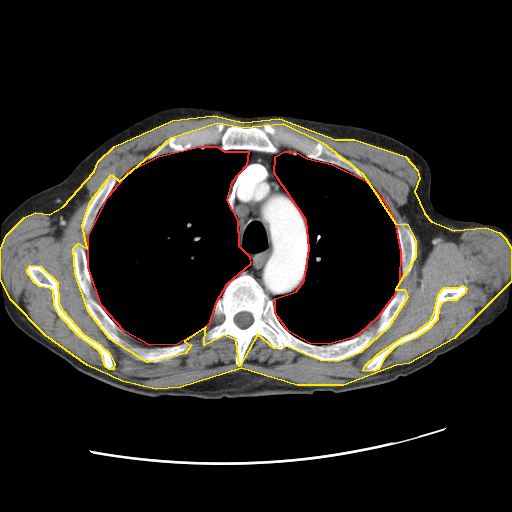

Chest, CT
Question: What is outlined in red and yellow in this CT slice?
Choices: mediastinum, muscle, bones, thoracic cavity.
Answer: red: thoracic cavity; yellow: muscle.
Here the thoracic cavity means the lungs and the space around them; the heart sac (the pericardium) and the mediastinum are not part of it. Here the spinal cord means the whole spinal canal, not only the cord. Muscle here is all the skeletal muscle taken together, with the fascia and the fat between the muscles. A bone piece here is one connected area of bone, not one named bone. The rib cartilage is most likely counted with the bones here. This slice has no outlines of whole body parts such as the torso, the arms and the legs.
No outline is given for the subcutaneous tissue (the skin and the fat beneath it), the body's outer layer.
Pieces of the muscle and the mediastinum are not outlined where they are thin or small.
{"thoracic_cavity":[[[199,146],[216,146],[224,151],[248,151],[246,165],[231,182],[226,200],[237,220],[238,245],[249,256],[250,264],[226,284],[215,303],[208,324],[203,329],[177,344],[149,345],[124,331],[101,305],[88,267],[88,236],[108,196],[130,170],[158,156]],[[284,151],[294,151],[307,158],[332,164],[365,180],[383,200],[394,220],[400,251],[399,281],[393,296],[377,317],[358,334],[350,338],[328,344],[309,343],[288,331],[275,313],[275,298],[296,291],[304,280],[309,248],[306,220],[274,173],[275,156]]],"muscle":[{"outer":[[213,115],[243,122],[279,118],[335,139],[354,139],[405,156],[417,170],[419,178],[414,191],[424,213],[431,221],[454,230],[485,227],[499,232],[505,238],[511,248],[511,281],[454,338],[409,363],[396,365],[343,385],[297,385],[241,368],[180,387],[156,389],[122,381],[87,365],[45,335],[10,299],[0,278],[0,250],[6,235],[24,217],[35,212],[49,214],[63,206],[94,171],[98,161],[114,146],[172,120]],"holes":[[[217,122],[242,127],[283,123],[322,142],[362,173],[395,223],[407,224],[415,240],[415,257],[395,289],[404,289],[407,297],[388,327],[360,352],[338,361],[320,360],[286,346],[274,348],[257,334],[239,366],[236,340],[224,335],[204,345],[205,327],[184,341],[191,345],[185,353],[147,362],[110,339],[88,311],[75,273],[73,248],[78,243],[87,248],[82,225],[90,201],[111,174],[119,181],[171,137]],[[30,265],[40,266],[57,282],[58,302],[61,309],[83,334],[99,344],[109,353],[114,363],[113,369],[109,369],[106,367],[104,364],[102,355],[98,350],[79,336],[59,315],[54,304],[53,291],[50,288],[39,286],[34,282],[27,272],[27,269]],[[462,285],[466,288],[465,292],[456,300],[448,300],[441,303],[438,308],[437,319],[428,329],[414,338],[394,347],[384,357],[378,369],[374,371],[363,370],[365,365],[377,354],[402,337],[419,329],[430,320],[434,313],[438,294],[444,287],[458,287]]]}],"mediastinum":[[[249,151],[275,155],[272,163],[273,173],[281,187],[304,218],[307,230],[307,261],[303,280],[296,290],[285,295],[277,295],[273,301],[268,297],[252,275],[242,272],[250,266],[251,258],[239,245],[238,220],[230,209],[227,200],[232,182],[247,165]]],"spinal_cord":[[[240,312],[248,312],[251,314],[251,315],[253,318],[253,321],[252,322],[252,323],[249,326],[248,326],[245,328],[241,328],[240,327],[239,327],[235,323],[235,322],[234,321],[234,317],[235,316],[235,315],[236,314],[237,314]]],"bones":[{"outer":[[242,273],[252,276],[273,302],[283,327],[313,345],[337,343],[373,329],[397,290],[404,289],[407,297],[388,327],[353,356],[320,360],[286,346],[274,348],[257,334],[239,366],[235,362],[237,342],[232,336],[224,335],[206,345],[201,339],[227,284]],"hole":[[240,312],[248,312],[251,314],[251,315],[253,318],[253,321],[252,322],[252,323],[249,326],[248,326],[245,328],[241,328],[240,327],[239,327],[235,323],[235,322],[234,321],[234,317],[235,316],[235,315],[236,314],[237,314]]},[[217,122],[226,126],[242,127],[261,127],[265,123],[274,126],[286,124],[294,132],[322,142],[349,160],[364,179],[332,163],[307,157],[283,144],[277,146],[280,150],[277,154],[245,149],[224,150],[218,144],[210,144],[165,153],[146,160],[171,137]],[[78,243],[82,244],[86,252],[87,267],[93,288],[91,295],[108,316],[128,335],[120,335],[128,344],[152,348],[189,342],[190,349],[166,360],[147,362],[136,359],[132,352],[110,339],[95,322],[86,307],[85,296],[79,285],[73,261],[73,248]],[[30,265],[40,266],[57,282],[58,302],[61,309],[83,334],[99,344],[109,353],[114,363],[113,369],[109,369],[106,367],[104,364],[102,355],[98,350],[79,336],[59,315],[54,304],[53,291],[50,288],[39,286],[34,282],[27,272],[27,269]],[[462,285],[466,288],[465,292],[456,300],[448,300],[441,303],[438,308],[437,319],[428,329],[414,338],[394,347],[384,357],[378,369],[374,371],[363,370],[365,365],[377,354],[402,337],[419,329],[430,320],[434,313],[438,294],[444,287],[458,287]],[[397,220],[401,220],[402,221],[404,221],[407,224],[415,240],[415,257],[413,261],[413,264],[411,267],[411,269],[408,275],[403,279],[401,279],[401,251],[400,250],[400,243],[399,242],[398,232],[397,231],[397,228],[396,227],[396,222]],[[113,173],[115,174],[116,176],[117,182],[99,209],[89,234],[88,235],[85,235],[83,233],[83,227],[82,225],[83,224],[83,218],[84,217],[85,212],[88,207],[88,205],[104,181],[111,174]]]}